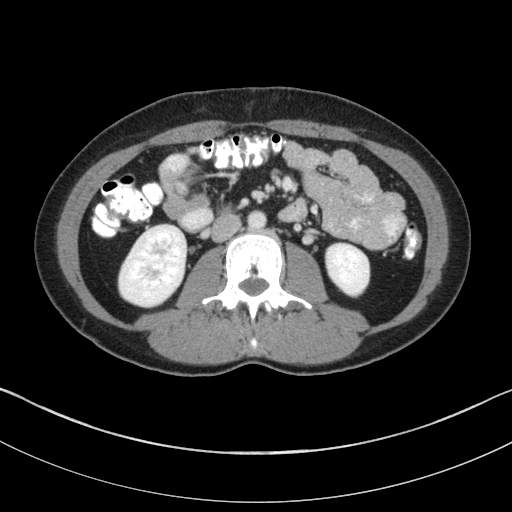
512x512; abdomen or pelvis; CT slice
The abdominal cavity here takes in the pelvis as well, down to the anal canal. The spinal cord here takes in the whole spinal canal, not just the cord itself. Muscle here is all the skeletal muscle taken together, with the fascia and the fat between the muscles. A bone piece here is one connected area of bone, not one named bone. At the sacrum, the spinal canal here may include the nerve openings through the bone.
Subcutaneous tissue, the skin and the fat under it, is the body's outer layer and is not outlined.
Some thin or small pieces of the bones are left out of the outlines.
Outlines:
torso: 186,377 218,375 246,364 299,376 342,372 383,359 427,333 459,294 471,252 467,208 441,162 411,133 362,104 325,91 285,85 174,93 97,133 58,174 42,202 33,237 38,277 64,320 98,348 148,370
spinal cord: 250,295 256,295 260,293 262,291 263,291 268,286 268,284 263,279 260,279 259,278 255,278 254,279 253,278 249,278 248,279 246,279 244,280 239,284 239,286 240,288 241,288 245,292 246,292
muscle: 191,365 216,365 237,360 245,356 265,357 278,362 295,365 316,365 329,363 349,356 366,337 406,322 414,317 425,306 427,301 430,299 436,286 440,282 442,268 446,261 449,247 448,225 445,214 445,209 443,206 440,194 435,184 421,165 414,158 399,149 361,137 350,129 341,126 330,125 303,119 274,119 266,122 245,121 237,123 225,120 211,119 196,121 167,129 144,141 111,152 102,157 88,168 72,188 65,202 57,224 56,251 58,262 64,276 81,300 82,305 91,314 109,324 126,331 141,333 146,338 146,341 149,347 164,358 171,361; inner edges: 253,324 261,306 312,308 280,285 286,241 317,260 328,301 371,324 408,303 426,226 395,170 354,142 245,126 150,147 104,181 78,243 108,311 131,322 175,306 192,266 219,245 227,282 201,302 244,305, then 253,348 256,348 256,347 257,346 257,341 256,340 256,339 253,336 250,339 250,345
bones: 253,324 261,306 267,312 284,308 291,300 308,309 312,306 281,287 279,277 284,259 279,242 266,234 246,232 234,237 226,247 225,287 217,294 203,298 201,302 205,305 212,300 219,300 228,310 244,305; inner edge: 250,295 256,295 260,293 262,291 263,291 268,286 268,284 263,279 260,279 259,278 255,278 254,279 253,278 249,278 248,279 246,279 244,280 239,284 239,286 240,288 241,288 245,292 246,292
abdominal cavity: 371,324 393,317 414,295 423,271 426,226 405,180 360,144 245,126 150,147 104,181 82,219 78,243 84,280 124,321 175,306 198,258 214,246 225,250 234,236 249,231 309,251 320,265 328,301 359,309